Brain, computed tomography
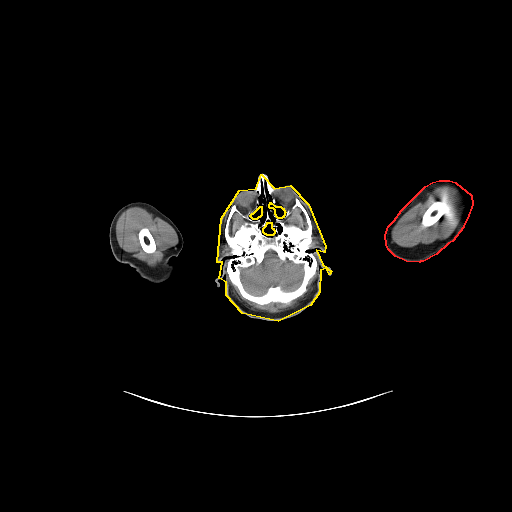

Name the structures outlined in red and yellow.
red: left arm; yellow: head.
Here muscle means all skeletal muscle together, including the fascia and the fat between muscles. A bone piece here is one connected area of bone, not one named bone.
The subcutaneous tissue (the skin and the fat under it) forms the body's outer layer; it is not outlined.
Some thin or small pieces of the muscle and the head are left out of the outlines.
left arm: 439,180 449,180 455,182 471,195 472,204 467,218 463,225 463,227 452,241 448,243 436,254 423,261 420,261 419,262 406,261 395,256 388,249 386,244 385,235 388,226 394,220 401,210 425,186 432,182
head: 261,174 274,188 290,185 308,204 325,246 324,252 316,250 322,264 331,271 329,274 326,268 320,270 319,292 310,305 278,321 242,313 226,295 226,282 219,278 222,262 217,262 221,218 239,190 256,188, around holes outlined by 270,202 275,206 280,206 282,208 283,208 283,209 285,212 284,213 284,215 283,216 283,217 282,217 281,218 278,218 276,216 276,215 275,214 275,210 273,208 270,208 269,207 269,204 270,203 and by 267,222 271,222 271,227 272,228 273,228 273,229 274,230 274,233 272,235 267,235 266,234 265,234 263,232 263,228 266,225 266,224 267,223 and by 260,206 261,206 261,215 259,217 258,217 256,219 253,219 250,216 250,215 252,213 253,213
muscle 1: 438,186 450,186 455,191 457,197 457,207 459,212 459,221 451,234 439,242 434,242 422,245 416,245 412,247 402,247 393,242 391,239 391,232 399,219 410,208 418,202 421,202 425,198 428,192 432,191; inner edge: 435,202 436,203 445,203 447,205 447,211 446,211 443,214 443,215 435,223 434,223 432,225 431,225 430,226 424,226 423,225 422,225 421,224 421,220 422,219 423,214 428,208 428,207 432,203 434,203
muscle 2: 134,206 142,207 152,213 154,216 161,218 167,222 176,232 178,239 176,245 171,247 165,252 162,261 156,266 153,267 149,266 146,263 133,257 130,253 124,251 118,244 115,232 116,222 119,216 126,209; inner edge: 144,227 146,227 149,230 150,233 153,237 153,239 155,243 155,251 152,253 147,253 145,251 144,251 139,241 139,238 138,237 138,233 139,231 142,228
muscle 3: 315,275 315,278 312,283 312,289 308,295 295,307 280,312 272,313 253,310 241,302 235,296 232,289 232,284 236,287 239,294 244,299 259,305 265,305 269,303 286,304 304,294 307,290 307,286 310,279
muscle 4: 297,208 298,208 300,210 300,211 302,213 302,214 303,215 303,216 305,219 305,221 306,222 306,227 305,228 302,228 296,224 294,224 293,223 288,223 287,222 290,219 290,218 291,217 291,215 297,209
muscle 5: 234,213 236,213 240,217 241,217 244,220 243,221 243,222 237,228 237,229 234,232 234,233 232,235 231,235 230,234 230,232 229,231 230,230 230,225 231,224 231,219 232,218 232,217 233,216 233,214
bones 1: 261,174 264,174 270,185 275,188 273,195 286,209 298,198 312,225 311,249 317,268 309,279 305,292 286,303 259,304 244,298 227,273 230,248 224,231 230,209 235,205 246,214 253,208 256,202 254,190, around holes outlined by 269,251 274,252 278,259 282,262 288,260 294,264 301,265 302,276 296,287 293,289 284,289 279,284 271,285 263,293 259,294 253,293 246,288 241,279 241,270 253,265 260,264 264,260 266,253 and by 297,208 298,208 300,210 300,211 302,213 302,214 303,215 303,216 305,219 305,221 306,222 306,227 305,228 302,228 296,224 294,224 293,223 288,223 287,222 290,219 290,218 291,217 291,215 297,209 and by 234,213 236,213 240,217 241,217 244,220 243,221 243,222 237,228 237,229 234,232 234,233 232,235 231,235 230,234 230,232 229,231 230,230 230,225 231,224 231,219 232,218 232,217 233,216 233,214 and by 270,202 275,206 280,206 282,208 283,208 283,209 285,212 284,213 284,215 283,216 283,217 282,217 281,218 278,218 276,216 276,215 275,214 275,210 273,208 270,208 269,207 269,204 270,203 and by 267,222 271,222 271,227 272,228 273,228 273,229 274,230 274,233 272,235 267,235 266,234 265,234 263,232 263,228 266,225 266,224 267,223 and by 260,206 261,206 261,215 259,217 258,217 256,219 253,219 250,216 250,215 252,213 253,213
bones 2: 435,202 436,203 445,203 447,205 447,211 446,211 443,214 443,215 435,223 434,223 432,225 431,225 430,226 424,226 423,225 422,225 421,224 421,220 422,219 423,214 428,208 428,207 432,203 434,203
bones 3: 144,227 146,227 149,230 150,233 153,237 153,239 155,243 155,251 152,253 147,253 145,251 144,251 139,241 139,238 138,237 138,233 139,231 142,228
right arm: 133,201 147,202 156,207 173,221 182,234 183,246 179,254 177,256 172,257 169,260 169,263 173,266 173,272 164,281 158,283 154,283 142,278 129,265 117,261 112,254 109,241 110,223 115,213 122,206
brain: 269,251 274,252 278,259 282,262 288,260 294,264 301,265 302,276 296,287 293,289 284,289 279,284 271,285 263,293 259,294 253,293 246,288 241,279 241,270 253,265 260,264 264,260 266,253